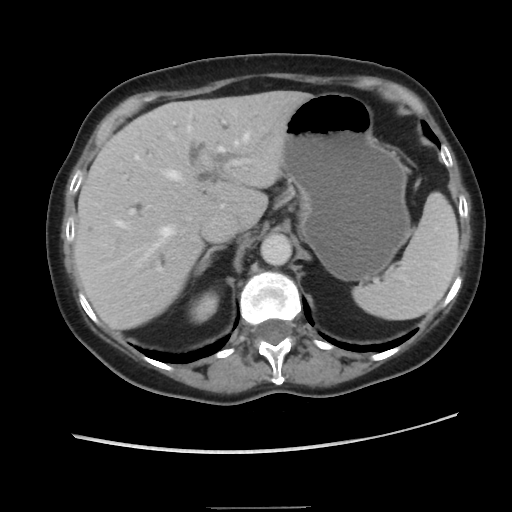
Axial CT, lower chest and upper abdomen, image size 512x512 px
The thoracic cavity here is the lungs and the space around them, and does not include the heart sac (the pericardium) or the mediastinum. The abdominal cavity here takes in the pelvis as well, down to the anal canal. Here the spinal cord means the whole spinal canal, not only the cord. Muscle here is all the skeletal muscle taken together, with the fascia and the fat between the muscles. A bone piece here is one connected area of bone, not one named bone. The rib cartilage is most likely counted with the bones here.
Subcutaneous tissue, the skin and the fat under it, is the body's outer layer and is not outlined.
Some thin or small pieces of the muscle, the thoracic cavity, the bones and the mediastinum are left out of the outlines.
{"spinal_cord":[[[269,319],[279,319],[280,320],[284,320],[285,321],[288,321],[289,322],[289,325],[290,326],[290,331],[289,332],[289,334],[282,340],[281,340],[277,344],[272,344],[263,339],[261,339],[256,334],[256,327],[262,322],[263,322],[266,320],[268,320]]],"muscle":[[[268,72],[375,76],[413,91],[426,104],[455,155],[471,200],[471,244],[464,281],[452,308],[407,350],[360,376],[330,386],[283,383],[282,365],[293,346],[294,320],[302,311],[322,339],[312,339],[319,349],[337,347],[370,352],[372,361],[380,361],[398,352],[440,304],[444,308],[456,296],[463,282],[463,277],[456,275],[461,221],[468,217],[469,210],[466,197],[462,193],[456,196],[449,148],[419,115],[424,109],[417,99],[401,87],[377,79],[316,84],[257,76],[207,93],[141,107],[154,99],[152,95],[128,99],[97,130],[95,143],[103,142],[89,161],[82,182],[84,172],[78,168],[68,187],[75,196],[73,215],[67,217],[64,233],[66,241],[72,243],[81,287],[78,301],[96,325],[103,324],[143,354],[144,361],[166,371],[174,369],[170,364],[231,355],[235,348],[225,346],[242,318],[251,327],[258,354],[271,367],[271,382],[238,393],[219,393],[190,386],[142,365],[90,329],[77,306],[63,263],[60,233],[64,193],[70,172],[93,130],[127,97],[149,90],[196,88],[216,80]],[[133,112],[134,112],[132,114],[131,114],[121,123],[120,123],[115,128],[114,128],[113,129],[113,130],[108,135],[108,136],[107,137],[107,136],[110,132],[112,127],[114,125],[114,123],[118,118],[119,118],[124,115],[129,115]]],"thoracic_cavity":[[[237,305],[240,317],[238,320],[236,328],[231,334],[229,340],[224,347],[210,355],[201,357],[198,359],[185,363],[167,363],[152,358],[142,353],[130,344],[146,350],[153,350],[169,354],[184,354],[201,349],[223,338],[231,331],[236,318]],[[303,298],[307,304],[313,322],[317,328],[326,336],[340,342],[360,346],[372,344],[383,344],[395,340],[407,334],[412,330],[415,329],[417,329],[417,330],[413,335],[402,343],[382,351],[360,352],[344,349],[323,339],[306,320],[303,312],[302,304]],[[421,118],[422,118],[427,123],[427,124],[429,126],[429,127],[431,129],[433,133],[438,139],[440,143],[439,145],[439,150],[438,148],[431,141],[430,141],[424,134],[424,132],[422,128],[422,124],[421,123]]],"abdominal_cavity":[[[257,77],[361,83],[400,98],[420,117],[452,172],[460,241],[455,277],[417,328],[365,345],[326,335],[294,273],[294,243],[280,233],[244,255],[233,284],[234,322],[210,344],[184,353],[146,349],[96,315],[73,241],[75,197],[100,146],[144,106]]],"mediastinum":[[[270,234],[280,234],[293,243],[294,248],[293,261],[292,262],[293,273],[296,277],[299,289],[303,297],[302,298],[298,286],[293,278],[281,271],[267,269],[251,275],[245,281],[239,293],[238,307],[236,302],[234,284],[237,281],[244,257],[261,239]]],"torso":[[[267,52],[374,61],[406,72],[432,94],[470,160],[483,198],[485,243],[475,296],[453,335],[424,364],[341,395],[272,393],[240,404],[215,405],[145,390],[106,367],[78,341],[60,314],[45,247],[46,212],[55,175],[89,110],[119,83],[196,59]]],"bones":[{"outer":[[267,270],[281,272],[293,279],[299,291],[302,305],[302,310],[293,320],[293,342],[281,365],[281,373],[284,377],[284,381],[279,385],[271,381],[273,375],[272,367],[267,359],[259,354],[252,327],[241,317],[239,307],[240,293],[246,281],[251,276]],"hole":[[269,319],[279,319],[280,320],[284,320],[285,321],[288,321],[289,322],[289,325],[290,326],[290,331],[289,332],[289,334],[282,340],[281,340],[277,344],[272,344],[263,339],[261,339],[256,334],[256,327],[262,322],[263,322],[266,320],[268,320]]},[[145,96],[152,96],[153,97],[152,100],[148,102],[142,103],[140,107],[135,111],[133,111],[129,114],[124,114],[118,117],[113,123],[113,125],[105,139],[98,144],[96,143],[96,136],[98,130],[103,122],[114,110],[130,99],[133,98],[142,98]],[[361,80],[377,80],[380,81],[384,85],[393,85],[396,87],[401,88],[417,100],[421,105],[423,109],[423,112],[420,114],[417,114],[416,112],[404,102],[400,97],[391,95],[389,93],[381,89],[378,86],[369,85],[365,83],[359,82],[359,81]],[[457,275],[460,275],[462,277],[462,282],[461,283],[461,285],[460,286],[457,293],[455,295],[455,296],[444,307],[441,307],[441,304],[444,300],[446,295],[448,293],[448,292],[449,291],[449,290],[450,289],[450,288],[451,287],[451,286]],[[80,290],[85,296],[87,301],[89,303],[95,315],[99,320],[100,322],[99,324],[96,324],[89,317],[89,316],[86,313],[86,312],[82,307],[79,301],[79,298],[78,297],[78,292]],[[399,345],[401,346],[400,347],[400,349],[392,355],[386,358],[384,358],[380,360],[372,360],[370,358],[370,356],[373,353],[382,352],[383,351],[385,351],[388,349],[393,348]],[[78,169],[81,170],[83,172],[83,176],[82,177],[81,182],[79,185],[79,187],[78,187],[76,190],[76,193],[75,194],[73,194],[72,193],[70,193],[70,192],[69,191],[69,187],[70,186],[70,184],[71,183],[72,178],[73,177],[75,172]],[[143,355],[145,355],[152,359],[154,359],[155,360],[157,360],[158,361],[160,361],[161,362],[163,362],[164,363],[169,364],[173,368],[173,369],[172,370],[166,370],[165,369],[160,368],[157,366],[155,366],[149,363],[147,361],[144,360],[142,357]]]}